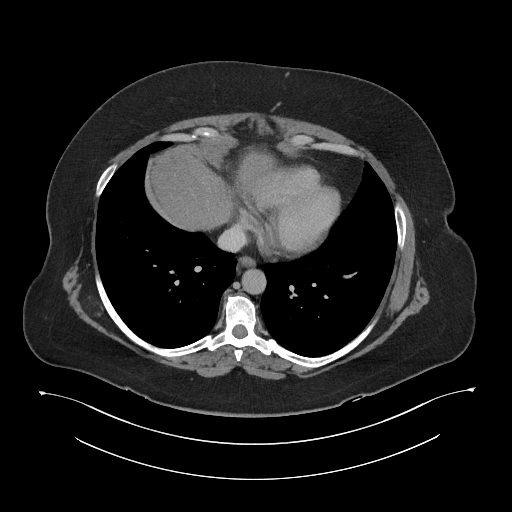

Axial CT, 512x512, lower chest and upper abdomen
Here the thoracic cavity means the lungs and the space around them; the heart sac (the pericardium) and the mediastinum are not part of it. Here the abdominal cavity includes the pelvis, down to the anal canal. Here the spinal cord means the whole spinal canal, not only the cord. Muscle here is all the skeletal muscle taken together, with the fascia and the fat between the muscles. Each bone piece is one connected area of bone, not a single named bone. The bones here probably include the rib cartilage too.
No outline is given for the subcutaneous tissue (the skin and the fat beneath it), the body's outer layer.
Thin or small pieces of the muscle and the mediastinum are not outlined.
Outlines:
spinal cord: 237,325 242,325 245,328 245,329 246,330 246,335 245,335 243,337 236,337 233,334 233,333 232,332 232,331 233,330 233,329 234,328 234,327 235,326 236,326
mediastinum 1: 236,219 251,236 255,252 259,257 266,262 271,262 262,266 266,286 259,302 260,317 255,303 247,295 241,293 227,293 225,295 222,303 223,313 219,317 221,298 235,278 237,259 232,252 219,248 209,236
mediastinum 2: 302,149 329,151 349,157 358,158 363,162 363,170 361,175 360,183 354,195 346,206 348,203 348,193 344,182 340,176 338,175 335,170 326,165 322,161 314,159 307,155 297,153 300,151 299,150
thoracic cavity 1: 154,141 173,143 151,153 147,160 143,184 151,207 173,226 207,235 219,249 232,253 236,259 234,278 220,298 213,331 191,343 175,347 155,345 127,325 107,294 96,257 95,236 100,197 117,169 134,153
thoracic cavity 2: 365,161 369,163 384,184 393,204 396,250 387,287 370,321 351,340 323,355 298,354 278,343 269,335 263,325 259,313 260,302 267,286 263,266 267,263 299,259 315,251 324,243 341,213 355,195 362,180
abdominal cavity: 253,118 264,118 271,121 288,141 293,142 296,147 301,149 283,162 272,179 251,198 239,216 231,223 208,235 201,231 188,231 177,227 152,207 146,196 144,184 151,154 171,146 173,142 221,137 234,126
pericardium: 296,153 322,162 335,171 345,187 347,193 347,203 331,227 326,239 315,250 293,260 282,260 276,262 266,261 260,257 256,252 252,236 241,225 237,218 241,215 242,212 246,210 252,198 273,179 284,162
bones 1: 97,271 121,319 158,347 182,347 213,332 227,294 247,296 268,335 306,357 336,351 375,316 379,318 357,346 318,367 273,352 266,355 250,345 242,349 239,361 231,344 166,357 133,342 115,324 99,296, around a hole outlined by 237,325 242,325 245,328 245,329 246,330 246,335 245,335 243,337 236,337 233,334 233,333 232,332 232,331 233,330 233,329 234,328 234,327 235,326 236,326
bones 2: 298,134 303,134 304,135 311,136 316,141 345,144 353,147 358,151 363,153 364,156 361,159 358,157 349,156 345,154 342,154 329,150 313,149 310,148 308,145 296,146 294,142 290,140 290,138 292,136
bones 3: 197,127 211,127 214,128 223,135 221,136 218,136 217,137 206,137 205,136 200,136 197,139 190,140 189,141 171,141 170,140 162,141 161,140 158,140 158,138 164,134 169,134 175,132 191,132
bones 4: 399,198 399,200 401,202 401,205 405,214 405,218 406,219 406,232 405,233 405,239 404,240 403,248 402,250 399,250 397,251 396,253 397,250 397,230 396,229 396,222 395,221 395,215 394,214 394,204
bones 5: 112,163 117,163 118,165 118,167 116,169 116,170 110,178 109,181 105,186 101,195 99,197 99,198 98,198 95,196 95,192 96,191 96,185 97,184 98,179 100,177 100,175 102,173 104,169 108,165
torso: 205,60 357,76 391,90 421,116 453,181 455,205 449,224 467,242 475,261 475,328 461,355 336,407 271,417 173,408 34,355 22,329 22,306 47,252 46,194 62,152 86,119 118,90 153,72
muscle: 255,110 272,110 277,114 335,130 367,148 385,166 412,214 415,256 419,260 420,274 430,295 428,303 419,312 408,316 381,344 311,377 266,379 251,375 238,366 223,375 204,377 191,370 157,362 140,355 79,318 69,305 67,294 62,287 62,278 74,262 82,244 82,236 86,234 90,198 97,180 94,196 99,199 94,243 98,270 94,273 93,279 108,316 133,343 166,358 183,356 202,349 214,351 221,346 231,345 234,347 233,354 237,362 241,360 243,349 250,346 266,356 273,353 308,368 324,366 357,347 380,318 378,314 374,315 388,287 396,254 404,248 407,232 406,214 400,198 393,203 379,175 368,161 362,160 365,156 363,152 345,143 316,140 303,133 294,134 288,140 271,120 253,117 223,133 211,126 197,126 191,131 164,133 157,140 138,149 121,165 112,162 104,168 108,160 120,150 175,121 202,115